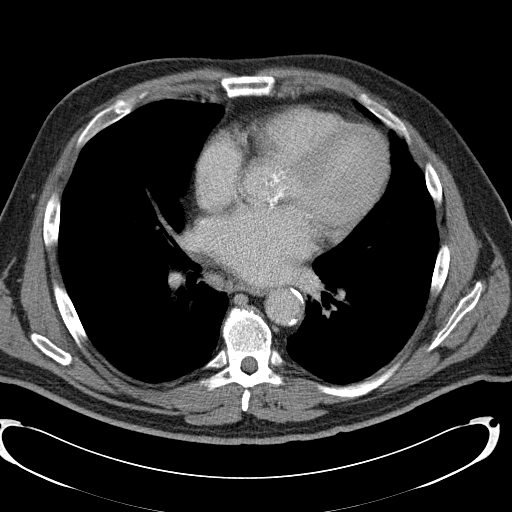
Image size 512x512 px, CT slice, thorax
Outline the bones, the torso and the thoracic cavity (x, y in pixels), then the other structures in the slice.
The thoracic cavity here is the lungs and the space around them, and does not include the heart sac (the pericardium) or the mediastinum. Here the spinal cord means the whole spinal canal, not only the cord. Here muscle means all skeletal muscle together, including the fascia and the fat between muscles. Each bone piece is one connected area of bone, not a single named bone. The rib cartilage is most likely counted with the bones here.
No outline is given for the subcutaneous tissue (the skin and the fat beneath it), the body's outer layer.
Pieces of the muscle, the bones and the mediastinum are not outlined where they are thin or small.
The bones appear in 11 outlined pieces: piece 1: [[234,307],[252,310],[262,318],[271,331],[272,347],[284,359],[282,364],[271,367],[282,377],[284,383],[274,385],[262,382],[251,387],[246,411],[241,407],[244,388],[240,384],[230,382],[209,390],[200,383],[217,370],[203,367],[225,347],[222,324]], around a hole outlined by [[248,356],[250,356],[251,357],[254,358],[255,359],[255,360],[256,361],[256,363],[257,364],[257,368],[253,372],[252,372],[251,373],[248,373],[247,372],[244,371],[241,368],[241,365],[242,364],[242,361],[243,360],[243,359],[244,358],[245,358]]; piece 2: [[144,91],[147,92],[146,95],[141,99],[138,98],[136,99],[136,101],[133,106],[133,109],[129,113],[100,130],[88,140],[82,147],[78,147],[76,145],[77,138],[85,128],[88,122],[98,112],[112,104],[117,99],[125,99],[130,96],[136,96]]; piece 3: [[237,75],[271,75],[273,76],[275,79],[275,82],[273,85],[273,91],[268,95],[265,94],[262,95],[254,95],[252,94],[251,95],[239,95],[238,96],[229,97],[227,96],[226,92],[221,86],[220,79],[223,77],[229,77],[230,76],[236,76]]; piece 4: [[401,360],[402,360],[399,367],[387,380],[373,390],[361,396],[357,396],[356,397],[346,397],[345,396],[332,395],[331,394],[322,392],[315,386],[316,383],[321,383],[325,385],[348,385],[349,384],[360,382],[370,377],[376,376],[388,368],[395,362]]; piece 5: [[54,282],[56,282],[60,285],[64,286],[73,304],[73,306],[80,320],[80,322],[86,333],[87,339],[84,339],[81,341],[81,346],[80,347],[77,345],[74,339],[70,334],[62,319],[60,312],[57,307],[54,297],[54,294],[53,293],[53,283]]; piece 6: [[477,281],[480,281],[481,282],[483,286],[483,289],[475,306],[471,310],[467,312],[461,318],[448,335],[436,347],[428,351],[427,349],[430,345],[432,340],[436,336],[437,333],[445,325],[449,317],[456,307],[459,300],[472,290],[474,285]]; piece 7: [[363,92],[364,93],[366,93],[375,101],[378,102],[383,106],[389,109],[403,122],[409,132],[409,135],[411,139],[409,143],[407,143],[406,140],[401,135],[398,134],[393,129],[390,128],[384,122],[383,122],[379,118],[374,115],[357,100],[358,94]]; piece 8: [[53,192],[58,193],[60,197],[60,209],[59,210],[59,230],[58,231],[58,238],[57,239],[57,244],[54,244],[53,245],[46,246],[44,243],[44,239],[43,238],[43,219],[44,218],[44,212],[45,211],[46,203],[48,199],[50,197],[51,194]]; piece 9: [[443,243],[445,243],[448,245],[450,251],[450,261],[449,262],[449,267],[447,272],[447,276],[445,279],[445,281],[441,290],[438,293],[430,292],[431,279],[432,278],[432,275],[435,266],[435,261],[436,260],[437,253],[440,245]]; piece 10: [[34,332],[35,333],[40,334],[43,336],[45,336],[50,341],[51,341],[58,347],[68,352],[71,355],[71,362],[68,365],[63,365],[57,362],[51,357],[46,355],[38,347],[37,347],[31,340],[30,338],[30,335]]; piece 11: [[427,162],[430,162],[432,164],[433,167],[438,174],[438,176],[439,177],[439,179],[441,183],[441,191],[442,192],[442,201],[440,204],[434,203],[428,191],[428,189],[426,185],[426,182],[425,181],[425,176],[424,175],[424,169],[425,168],[425,164]]. The torso is outlined by [[299,52],[351,57],[409,84],[447,116],[481,164],[511,216],[511,381],[479,380],[371,426],[319,439],[269,445],[197,443],[131,431],[78,413],[25,388],[1,383],[0,211],[42,122],[54,105],[82,82],[116,66],[142,59],[168,56],[231,58]]. The thoracic cavity appears in 3 outlined pieces: piece 1: [[198,97],[203,103],[221,105],[223,114],[204,139],[180,198],[183,207],[180,242],[192,259],[201,261],[205,284],[228,298],[220,330],[224,347],[190,373],[169,381],[148,383],[120,372],[88,339],[60,269],[61,198],[81,149],[100,131],[147,103]]; piece 2: [[391,131],[405,140],[422,170],[435,209],[439,246],[429,295],[413,333],[387,364],[363,380],[332,384],[285,359],[277,349],[286,345],[287,338],[296,333],[305,318],[306,303],[312,300],[306,280],[313,272],[313,262],[341,243],[384,195],[392,174]]; piece 3: [[356,101],[357,102],[358,102],[362,106],[363,106],[368,111],[369,111],[374,116],[374,118],[372,118],[371,117],[370,117],[369,116],[368,116],[367,115],[366,115],[356,105]]. The pericardium is outlined by [[295,102],[314,102],[345,106],[372,120],[389,138],[390,178],[383,195],[367,215],[335,247],[314,259],[309,265],[309,269],[293,285],[273,287],[244,286],[221,273],[197,244],[192,226],[191,213],[191,181],[194,167],[206,140],[222,122],[254,108]]. The mediastinum appears in 3 outlined pieces: piece 1: [[197,157],[190,181],[191,226],[197,246],[221,274],[244,287],[286,287],[299,281],[312,262],[305,280],[311,300],[285,345],[273,347],[270,327],[252,309],[234,306],[225,317],[228,296],[206,284],[202,261],[192,258],[181,242],[181,198]]; piece 2: [[321,89],[335,90],[355,99],[355,105],[363,113],[349,106],[332,103],[314,101],[274,103],[254,107],[222,121],[205,141],[223,116],[224,108],[221,104],[203,102],[199,100],[201,99],[213,99],[220,92],[233,98],[268,96],[274,90],[291,93]]; piece 3: [[375,116],[378,119],[379,119],[383,123],[384,123],[390,129],[391,129],[394,131],[391,130],[389,132],[388,135],[388,134],[378,124],[377,124],[372,119],[371,119],[370,118],[371,118],[372,119],[374,119],[375,118]]. The spinal cord is outlined by [[248,356],[250,356],[251,357],[254,358],[255,359],[255,360],[256,361],[256,363],[257,364],[257,368],[253,372],[252,372],[251,373],[248,373],[247,372],[244,371],[241,368],[241,365],[242,364],[242,361],[243,360],[243,359],[244,358],[245,358]]. The muscle is outlined by [[205,66],[236,75],[221,77],[225,92],[213,98],[166,97],[134,109],[137,99],[147,95],[144,90],[98,111],[75,140],[81,148],[61,197],[53,191],[45,203],[43,243],[57,245],[63,282],[54,281],[52,293],[76,345],[89,340],[120,373],[148,384],[202,367],[215,369],[199,383],[209,391],[240,385],[243,412],[249,408],[251,388],[285,383],[272,368],[285,360],[331,384],[316,382],[322,393],[346,398],[368,394],[400,367],[403,360],[397,360],[373,375],[406,345],[430,293],[442,290],[450,267],[451,251],[447,243],[439,243],[434,204],[443,201],[439,174],[430,161],[423,171],[409,150],[412,139],[404,122],[366,92],[356,99],[330,88],[286,92],[274,89],[273,75],[251,74],[295,66],[345,76],[381,95],[447,165],[481,242],[477,274],[489,273],[492,243],[509,276],[507,311],[479,351],[405,388],[313,419],[278,423],[249,414],[233,423],[195,425],[176,415],[97,399],[0,349],[0,276],[14,258],[8,288],[12,291],[22,274],[38,196],[64,145],[98,106],[120,91]]; inner edges: [[477,281],[480,281],[481,282],[483,286],[483,289],[475,306],[471,310],[467,312],[461,318],[448,335],[436,347],[428,351],[427,349],[430,345],[432,340],[436,336],[437,333],[445,325],[449,317],[456,307],[459,300],[472,290],[474,285]], then [[34,332],[35,333],[40,334],[43,336],[45,336],[50,341],[51,341],[58,347],[68,352],[71,355],[71,362],[68,365],[63,365],[57,362],[51,357],[46,355],[38,347],[37,347],[31,340],[30,338],[30,335]].